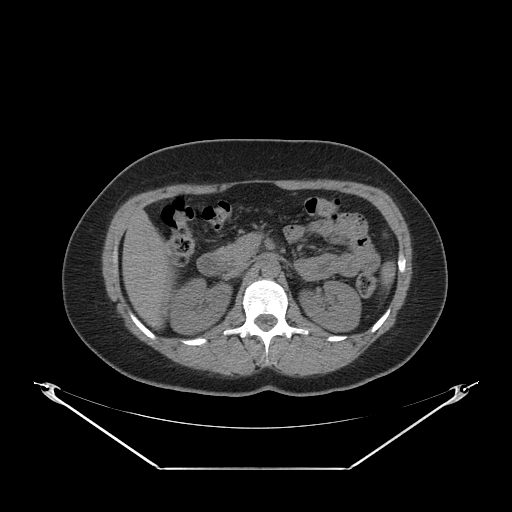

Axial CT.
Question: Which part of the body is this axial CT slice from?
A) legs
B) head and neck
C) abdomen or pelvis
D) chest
Answer: C) abdomen or pelvis
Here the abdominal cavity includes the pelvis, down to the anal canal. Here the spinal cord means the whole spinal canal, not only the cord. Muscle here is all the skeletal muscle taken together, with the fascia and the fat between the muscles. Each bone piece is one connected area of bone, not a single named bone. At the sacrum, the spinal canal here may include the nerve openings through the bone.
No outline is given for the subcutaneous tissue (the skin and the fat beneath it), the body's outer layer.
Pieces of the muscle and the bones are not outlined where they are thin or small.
Outlines (x, y in pixels):
bones 1: [[258,279],[271,279],[279,284],[288,299],[286,321],[291,326],[309,330],[308,334],[294,333],[289,338],[274,336],[268,347],[268,363],[265,361],[264,344],[258,336],[242,338],[235,333],[223,334],[225,329],[240,326],[245,321],[242,305],[244,291]], around a hole outlined by [[263,314],[267,314],[268,315],[272,315],[276,319],[276,323],[270,329],[269,329],[268,330],[263,330],[262,329],[261,329],[255,323],[255,319],[258,316],[259,316],[260,315],[262,315]]
bones 2: [[129,309],[130,309],[133,312],[133,313],[136,316],[136,317],[148,329],[149,329],[156,336],[156,338],[155,339],[151,339],[143,332],[142,332],[138,328],[138,327],[133,322],[133,321],[131,319],[131,318],[130,317],[130,315],[128,312]]
bones 3: [[197,337],[203,337],[204,338],[205,338],[207,340],[207,341],[205,343],[204,343],[201,345],[189,345],[188,344],[185,344],[184,343],[183,343],[180,341],[180,339],[181,338],[184,338],[185,339],[187,339],[188,338],[196,338]]
bones 4: [[389,307],[390,308],[390,312],[389,313],[389,314],[388,315],[388,316],[386,318],[386,319],[383,322],[383,323],[374,332],[370,332],[370,328],[375,323],[375,322],[384,313],[384,312]]
bones 5: [[399,252],[401,252],[403,254],[403,255],[404,256],[404,257],[405,258],[405,270],[404,271],[404,272],[403,272],[402,273],[401,272],[400,272],[399,271],[399,270],[398,269],[398,254],[399,253]]
bones 6: [[330,335],[347,335],[347,337],[345,339],[343,339],[342,340],[340,340],[339,341],[328,341],[326,339],[327,338],[327,337],[328,336],[329,336]]
abdominal cavity: [[251,183],[353,194],[380,212],[397,239],[398,273],[388,307],[368,329],[348,335],[330,334],[304,317],[290,294],[271,278],[249,283],[224,319],[201,336],[157,335],[137,317],[123,294],[118,270],[119,244],[134,215],[153,202],[176,195],[213,194]]
torso: [[220,138],[319,139],[351,145],[383,162],[416,195],[440,234],[448,286],[434,328],[403,365],[361,386],[323,395],[297,397],[264,390],[242,397],[217,396],[157,387],[125,376],[80,339],[64,310],[61,269],[69,237],[84,211],[140,157],[167,146]]
spinal cord: [[263,314],[267,314],[268,315],[272,315],[276,319],[276,323],[270,329],[269,329],[268,330],[263,330],[262,329],[261,329],[255,323],[255,319],[258,316],[259,316],[260,315],[262,315]]
muscle: [[254,178],[261,178],[262,179],[317,179],[318,178],[326,178],[327,179],[348,180],[349,181],[354,181],[355,182],[359,182],[360,183],[364,183],[368,185],[375,186],[385,191],[392,198],[400,210],[408,226],[408,229],[411,238],[411,247],[412,248],[412,275],[404,303],[397,313],[396,321],[392,327],[376,339],[357,358],[352,362],[345,366],[341,367],[339,369],[331,372],[328,372],[325,374],[315,374],[304,377],[292,377],[288,375],[284,375],[278,373],[274,370],[266,367],[259,372],[254,373],[248,376],[241,376],[237,378],[231,378],[230,377],[212,377],[206,375],[198,370],[192,369],[189,367],[178,364],[172,361],[155,349],[139,340],[125,327],[124,323],[119,320],[116,313],[113,309],[110,299],[106,291],[104,278],[102,274],[102,251],[103,250],[104,241],[106,237],[108,227],[113,217],[113,215],[120,205],[129,197],[134,194],[137,194],[140,192],[159,188],[167,185],[177,184],[178,183],[195,183],[196,184],[222,183],[223,182],[230,182],[231,181],[237,181],[244,179],[253,179]]; inner edge: [[251,183],[353,194],[380,212],[397,239],[405,270],[398,272],[390,312],[374,332],[369,328],[328,341],[330,334],[304,317],[289,293],[286,321],[309,332],[294,333],[289,338],[274,336],[266,363],[264,344],[258,336],[223,334],[245,321],[241,291],[224,319],[201,336],[207,340],[201,345],[185,344],[173,336],[151,339],[133,322],[119,271],[115,272],[113,252],[118,252],[134,215],[153,202],[176,195],[213,194]]